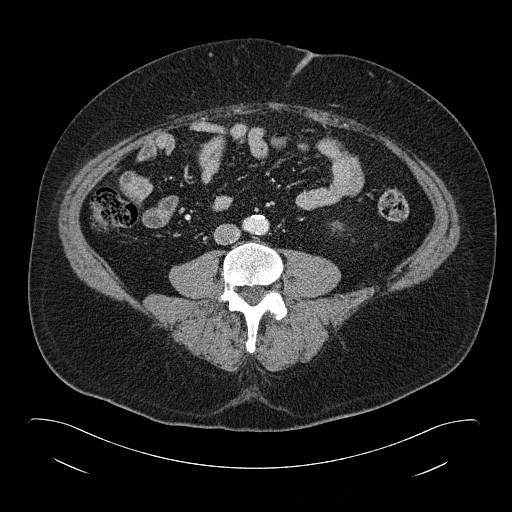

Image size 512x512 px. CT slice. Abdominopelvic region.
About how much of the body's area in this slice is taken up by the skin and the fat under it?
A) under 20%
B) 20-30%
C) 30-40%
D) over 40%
D) over 40%
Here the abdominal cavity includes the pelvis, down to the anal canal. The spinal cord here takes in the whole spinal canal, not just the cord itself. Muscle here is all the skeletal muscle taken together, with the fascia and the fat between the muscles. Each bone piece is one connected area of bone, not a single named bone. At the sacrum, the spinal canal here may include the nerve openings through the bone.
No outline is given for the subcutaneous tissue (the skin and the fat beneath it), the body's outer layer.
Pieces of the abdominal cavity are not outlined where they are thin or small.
The muscle is outlined by [[269,101],[304,105],[354,119],[384,133],[408,149],[434,170],[451,193],[459,215],[460,237],[455,249],[431,277],[411,287],[380,297],[361,307],[334,333],[326,349],[301,369],[285,376],[269,376],[256,367],[247,365],[231,374],[206,375],[193,370],[170,342],[144,316],[119,301],[89,287],[78,278],[64,253],[58,234],[59,205],[63,192],[83,164],[102,150],[138,131],[161,124],[183,114],[212,107],[239,102]], around a hole outlined by [[267,110],[381,142],[407,165],[434,217],[389,274],[343,292],[331,293],[342,278],[333,261],[280,248],[276,290],[287,313],[262,315],[250,353],[244,316],[217,300],[222,250],[170,268],[181,296],[142,299],[87,241],[80,211],[108,171],[163,130]]. The torso is outlined by [[248,37],[312,52],[368,59],[403,75],[439,100],[471,136],[490,176],[497,219],[493,280],[480,329],[463,361],[445,377],[394,402],[287,431],[167,425],[74,390],[44,360],[32,331],[27,293],[38,189],[61,134],[78,111],[105,87],[176,50]]. The abdominal cavity is outlined by [[267,110],[359,132],[395,154],[433,209],[421,243],[384,278],[343,292],[331,293],[342,273],[330,259],[248,240],[228,250],[221,265],[224,252],[219,249],[174,264],[167,276],[181,296],[135,295],[82,231],[80,211],[88,192],[128,153],[163,130]]. The bones are outlined by [[248,241],[264,243],[276,249],[282,257],[284,268],[276,282],[276,290],[287,308],[286,315],[280,320],[276,320],[268,310],[262,315],[252,353],[245,346],[247,326],[244,316],[239,311],[230,311],[225,301],[217,300],[224,288],[222,262],[225,255]] with a hole at [[254,286],[260,286],[261,287],[262,287],[264,290],[264,294],[263,295],[262,298],[256,304],[250,304],[249,303],[248,303],[240,295],[239,292],[240,291],[241,288],[242,288],[243,287],[253,287]]. The spinal cord is outlined by [[254,286],[260,286],[261,287],[262,287],[264,290],[264,294],[263,295],[262,298],[256,304],[250,304],[249,303],[248,303],[240,295],[239,292],[240,291],[241,288],[242,288],[243,287],[253,287]].